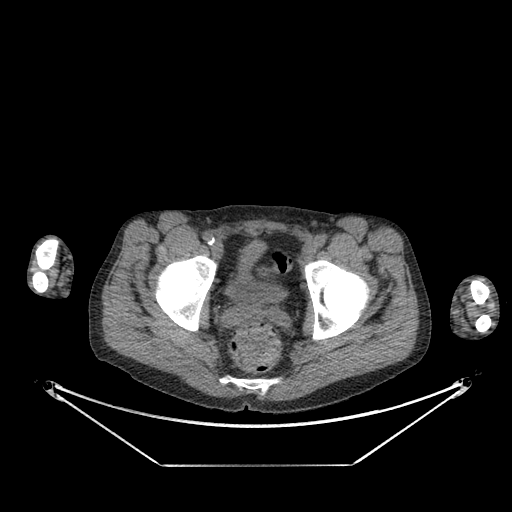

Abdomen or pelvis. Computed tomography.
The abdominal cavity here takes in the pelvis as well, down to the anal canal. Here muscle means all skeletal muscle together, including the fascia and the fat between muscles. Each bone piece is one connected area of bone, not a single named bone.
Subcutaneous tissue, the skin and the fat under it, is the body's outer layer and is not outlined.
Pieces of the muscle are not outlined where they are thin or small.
Outlines:
muscle 1: [[166,211],[181,212],[211,228],[224,223],[266,219],[290,225],[299,225],[317,233],[319,230],[348,215],[366,216],[387,224],[394,228],[402,237],[404,259],[409,267],[418,300],[419,325],[413,350],[406,358],[396,363],[333,382],[304,396],[282,401],[263,401],[256,399],[253,394],[232,398],[208,395],[183,382],[175,375],[119,354],[108,346],[103,338],[101,324],[102,289],[121,249],[122,238],[127,225],[140,216]] with holes at [[272,232],[301,241],[298,282],[307,301],[297,341],[275,375],[282,381],[260,397],[259,389],[240,390],[219,381],[228,373],[210,326],[210,291],[199,327],[190,331],[162,310],[155,288],[157,276],[174,261],[205,255],[218,269],[228,235],[259,237]] and at [[319,259],[324,259],[332,262],[334,264],[354,272],[360,276],[367,283],[369,287],[370,298],[359,318],[351,327],[337,335],[324,339],[313,340],[312,339],[312,332],[314,322],[314,311],[313,304],[309,295],[307,283],[304,277],[304,265],[308,262]]
muscle 2: [[474,277],[482,277],[491,285],[496,303],[496,314],[493,326],[491,327],[492,319],[487,313],[480,314],[474,321],[475,329],[478,332],[483,333],[479,334],[470,334],[462,331],[460,326],[455,323],[453,317],[453,303],[461,289],[460,288],[466,281]], around a hole outlined by [[473,279],[479,279],[480,280],[481,280],[485,284],[486,284],[489,288],[489,295],[486,299],[485,302],[483,304],[476,304],[475,303],[474,300],[472,298],[472,296],[471,295],[471,292],[470,291],[470,283]]
muscle 3: [[60,243],[63,244],[65,246],[69,253],[69,276],[66,283],[61,288],[61,289],[59,289],[54,293],[48,293],[47,292],[45,292],[47,290],[49,285],[49,278],[45,272],[51,268],[55,264]]
torso: [[238,203],[291,205],[330,213],[359,211],[387,217],[401,226],[415,253],[431,308],[431,338],[422,359],[395,378],[347,400],[280,414],[264,414],[246,407],[226,412],[197,406],[145,386],[99,360],[89,345],[88,298],[121,224],[143,210],[210,209]]
left arm: [[472,273],[482,274],[489,278],[493,282],[496,288],[499,298],[499,302],[500,303],[500,317],[499,318],[499,323],[497,327],[491,334],[479,340],[468,341],[456,336],[451,331],[449,326],[449,307],[450,306],[451,298],[453,292],[458,283],[464,277]]
abdominal cavity: [[272,232],[287,233],[301,241],[298,247],[297,267],[298,282],[307,300],[304,317],[297,341],[289,352],[283,369],[271,377],[237,377],[224,369],[219,346],[212,333],[213,330],[210,326],[210,291],[222,262],[224,238],[232,234],[244,237],[259,237]]
right arm: [[46,233],[56,234],[63,239],[71,250],[73,255],[74,274],[72,281],[72,287],[69,295],[66,298],[63,299],[49,299],[48,298],[41,297],[33,293],[28,288],[26,283],[26,268],[28,264],[28,260],[29,259],[31,248],[34,242],[40,236]]
bones 1: [[319,259],[324,259],[332,262],[334,264],[354,272],[360,276],[367,283],[369,287],[370,298],[359,318],[351,327],[337,335],[324,339],[313,340],[312,339],[312,332],[314,322],[314,311],[313,304],[309,295],[307,283],[304,277],[304,265],[308,262]]
bones 2: [[197,255],[205,255],[213,259],[217,263],[217,269],[215,273],[214,279],[208,292],[205,296],[200,310],[199,314],[199,327],[196,331],[190,331],[178,325],[162,310],[155,297],[155,288],[156,287],[157,276],[165,266],[174,261],[187,259]]
bones 3: [[47,238],[56,238],[59,241],[59,245],[57,249],[54,264],[44,272],[48,278],[48,285],[47,288],[44,292],[38,292],[33,287],[33,284],[32,283],[32,275],[34,272],[39,269],[39,267],[37,264],[37,260],[35,256],[35,250],[37,246]]
bones 4: [[227,374],[237,378],[260,377],[271,378],[281,376],[282,381],[280,383],[271,385],[265,394],[262,397],[260,397],[258,394],[260,390],[259,389],[248,391],[249,390],[248,389],[243,388],[240,390],[236,385],[231,382],[222,384],[219,381],[219,378]]
bones 5: [[473,279],[479,279],[480,280],[481,280],[485,284],[486,284],[489,288],[489,295],[486,299],[485,302],[483,304],[476,304],[475,303],[474,300],[472,298],[472,296],[471,295],[471,292],[470,291],[470,283]]
bones 6: [[482,314],[487,314],[488,315],[489,315],[489,316],[490,317],[490,318],[491,319],[491,324],[490,325],[490,327],[485,332],[480,332],[479,331],[478,331],[476,329],[476,328],[475,327],[475,321],[477,319],[477,318],[480,315],[481,315]]